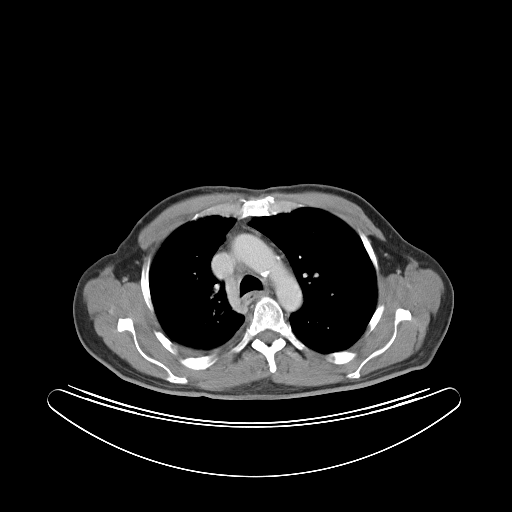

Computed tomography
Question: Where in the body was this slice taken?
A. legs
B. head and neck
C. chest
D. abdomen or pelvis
Answer: C. chest
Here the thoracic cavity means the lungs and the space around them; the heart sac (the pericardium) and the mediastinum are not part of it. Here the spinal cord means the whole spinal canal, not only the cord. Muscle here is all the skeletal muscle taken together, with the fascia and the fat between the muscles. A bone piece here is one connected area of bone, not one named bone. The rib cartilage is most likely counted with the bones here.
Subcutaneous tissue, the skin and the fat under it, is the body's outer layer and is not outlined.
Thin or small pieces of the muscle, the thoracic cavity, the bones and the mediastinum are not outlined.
muscle 1: (376, 254) (384, 275) (403, 268) (407, 256) (428, 266) (440, 275) (444, 294) (418, 351) (353, 381) (295, 386) (263, 378) (223, 391) (179, 386) (188, 379) (141, 348) (130, 316) (120, 316) (116, 330) (130, 332) (139, 354) (167, 374) (165, 380) (144, 374) (106, 346) (95, 332) (83, 300) (86, 282) (112, 264) (116, 277) (139, 280) (143, 300) (162, 330) (155, 329) (153, 334) (173, 355) (178, 351) (187, 356) (178, 360) (186, 368) (204, 370) (217, 361) (216, 354) (229, 350) (237, 354) (249, 344) (264, 356) (269, 372) (274, 373) (275, 354) (287, 342) (298, 351) (311, 349) (326, 354) (330, 363) (344, 365) (357, 355) (348, 349) (365, 330) (368, 334) (376, 327) (385, 308) (383, 303) (377, 304), around holes outlined by (398, 307) (408, 309) (411, 314) (411, 319) (402, 320) (398, 323) (396, 335) (392, 343) (383, 352) (371, 358) (362, 366) (360, 369) (359, 377) (357, 378) (346, 377) (347, 373) (354, 371) (365, 358) (377, 349) (381, 348) (390, 339) (393, 334) (394, 329) (395, 310) and by (288, 351) (292, 351) (293, 352) (296, 352) (297, 353) (298, 353) (298, 354) (299, 355) (299, 357) (294, 357) (293, 356) (292, 356) (291, 355) (290, 355) (288, 353)
muscle 2: (303, 191) (332, 193) (355, 203) (382, 232) (385, 238) (384, 241) (372, 236) (372, 245) (369, 238) (361, 230) (359, 229) (357, 233) (342, 219) (328, 211) (315, 207) (310, 203) (276, 199) (272, 194) (266, 194) (249, 198) (240, 197) (235, 202) (219, 203) (196, 212) (189, 221) (169, 234) (159, 246) (152, 260) (152, 257) (148, 255) (143, 262) (144, 252) (138, 245) (140, 231) (164, 209) (180, 200) (215, 192) (260, 195) (273, 192) (293, 193)
bones 1: (262, 296) (269, 296) (278, 303) (294, 335) (309, 349) (308, 351) (298, 350) (290, 342) (287, 341) (285, 346) (274, 354) (274, 361) (276, 365) (276, 370) (274, 372) (270, 372) (265, 356) (254, 349) (249, 343) (237, 353) (230, 351) (242, 338) (252, 316) (254, 306) with a hole at (267, 329) (268, 329) (269, 330) (271, 330) (272, 331) (275, 332) (277, 334) (277, 337) (275, 339) (274, 339) (269, 344) (268, 343) (266, 343) (262, 340) (261, 340) (258, 336) (259, 335) (259, 333) (260, 332) (261, 332) (264, 330) (266, 330)
bones 2: (266, 195) (272, 195) (276, 200) (288, 200) (296, 203) (310, 204) (312, 206) (298, 207) (289, 212) (280, 212) (274, 215) (246, 216) (237, 218) (215, 214) (191, 220) (196, 213) (209, 207) (219, 204) (232, 204) (237, 202) (240, 198) (249, 199) (263, 197)
bones 3: (120, 317) (130, 317) (132, 319) (138, 344) (140, 348) (148, 356) (165, 365) (175, 375) (184, 376) (187, 379) (187, 383) (173, 383) (166, 380) (165, 379) (168, 375) (167, 372) (162, 367) (144, 358) (137, 350) (131, 332) (128, 330) (123, 331) (117, 330) (117, 322)
bones 4: (398, 307) (408, 309) (411, 314) (411, 319) (402, 320) (398, 323) (396, 335) (392, 343) (383, 352) (371, 358) (362, 366) (360, 369) (359, 377) (357, 378) (346, 377) (347, 373) (354, 371) (365, 358) (377, 349) (381, 348) (390, 339) (393, 334) (394, 329) (395, 310)
bones 5: (148, 256) (151, 257) (151, 263) (150, 264) (150, 269) (149, 270) (149, 291) (150, 292) (150, 296) (151, 297) (151, 301) (153, 305) (154, 312) (152, 312) (148, 308) (144, 300) (144, 297) (141, 289) (141, 284) (140, 283) (140, 277) (141, 276) (142, 265) (147, 259)
bones 6: (206, 355) (215, 355) (217, 359) (216, 361) (213, 364) (212, 364) (210, 366) (204, 369) (191, 369) (188, 367) (186, 367) (184, 366) (181, 363) (180, 363) (179, 361) (179, 360) (181, 358) (184, 358) (185, 357) (199, 357) (200, 356) (205, 356)
bones 7: (344, 350) (349, 350) (350, 351) (353, 351) (356, 353) (356, 355) (350, 361) (349, 361) (344, 364) (336, 364) (335, 363) (333, 363) (332, 362) (330, 362) (327, 359) (327, 354) (328, 354) (329, 353) (331, 353) (332, 352) (338, 352) (339, 351) (343, 351)
bones 8: (359, 230) (361, 231) (368, 238) (373, 248) (373, 250) (374, 251) (374, 253) (375, 254) (375, 256) (377, 260) (377, 263) (378, 264) (378, 273) (377, 274) (375, 271) (374, 266) (358, 234) (358, 231)
bones 9: (155, 330) (157, 330) (158, 331) (161, 331) (163, 332) (163, 333) (173, 343) (173, 344) (175, 345) (176, 347) (176, 349) (177, 350) (177, 353) (176, 354) (173, 354) (167, 349) (166, 349) (162, 345) (162, 344) (158, 340) (158, 339) (154, 334) (154, 331)
bones 10: (378, 304) (383, 304) (383, 305) (384, 306) (384, 308) (383, 309) (382, 314) (381, 315) (377, 324) (375, 326) (375, 327) (370, 332) (367, 333) (366, 332) (366, 328) (367, 327) (367, 325) (368, 324) (368, 323) (369, 322) (369, 321) (376, 308) (376, 306)
thoracic cavity 1: (303, 207) (321, 209) (347, 224) (358, 235) (375, 272) (377, 289) (375, 308) (364, 331) (347, 349) (328, 353) (320, 352) (308, 347) (295, 335) (287, 320) (293, 312) (301, 309) (303, 306) (304, 298) (300, 285) (285, 253) (269, 237) (250, 225) (254, 217) (289, 213)
thoracic cavity 2: (215, 215) (233, 218) (234, 221) (211, 258) (211, 272) (220, 282) (223, 282) (230, 307) (238, 313) (251, 316) (241, 338) (230, 349) (221, 353) (188, 356) (177, 349) (176, 345) (164, 333) (161, 327) (155, 312) (150, 291) (151, 264) (162, 243) (177, 228) (187, 222)
torso: (304, 182) (335, 185) (359, 194) (403, 238) (431, 255) (444, 269) (453, 287) (453, 312) (427, 366) (348, 391) (289, 399) (228, 400) (170, 395) (136, 385) (120, 378) (84, 348) (72, 316) (77, 282) (87, 267) (116, 250) (154, 204) (174, 192) (202, 184) (263, 188)
spinal cord: (267, 329) (268, 329) (269, 330) (271, 330) (272, 331) (275, 332) (277, 334) (277, 337) (275, 339) (274, 339) (269, 344) (268, 343) (266, 343) (262, 340) (261, 340) (258, 336) (259, 335) (259, 333) (260, 332) (261, 332) (264, 330) (266, 330)
mediastinum: (246, 217) (253, 217) (249, 225) (269, 238) (284, 253) (299, 285) (303, 298) (302, 306) (293, 311) (287, 319) (279, 303) (269, 295) (262, 295) (255, 302) (251, 315) (245, 315) (234, 310) (228, 301) (224, 282) (220, 281) (212, 272) (212, 258) (233, 225) (234, 218)